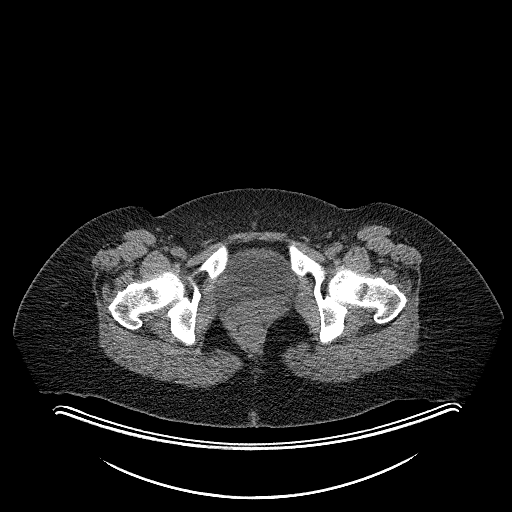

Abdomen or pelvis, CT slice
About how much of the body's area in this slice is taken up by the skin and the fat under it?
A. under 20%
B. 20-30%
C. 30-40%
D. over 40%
D. over 40%
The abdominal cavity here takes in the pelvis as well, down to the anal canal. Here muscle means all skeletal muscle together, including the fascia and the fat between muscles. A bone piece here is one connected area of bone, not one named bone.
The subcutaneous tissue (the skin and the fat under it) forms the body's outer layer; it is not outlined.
Outlines:
abdominal cavity: [[255,240],[278,241],[286,244],[290,269],[297,276],[299,281],[293,303],[268,324],[257,353],[250,353],[251,352],[246,349],[246,346],[242,343],[236,332],[222,319],[216,304],[216,285],[218,283],[217,278],[224,271],[228,263],[228,246],[235,243]]
torso: [[251,187],[301,192],[346,208],[391,203],[428,219],[466,254],[494,294],[503,317],[491,353],[463,402],[398,399],[325,423],[238,428],[169,421],[93,396],[40,391],[16,343],[14,319],[39,269],[73,231],[123,206],[140,205],[159,215],[206,194]]
bones 1: [[293,241],[299,250],[325,268],[327,272],[320,286],[324,295],[329,279],[342,265],[395,284],[406,297],[405,305],[385,323],[373,319],[372,308],[352,306],[344,317],[342,333],[322,343],[313,292],[315,280],[310,273],[300,279],[291,269],[287,245]]
bones 2: [[221,244],[228,249],[223,271],[214,279],[205,271],[193,276],[201,295],[194,344],[185,345],[172,335],[168,306],[143,313],[136,329],[121,325],[110,313],[108,306],[119,290],[164,271],[177,274],[185,286],[184,294],[190,297],[193,286],[187,277]]
muscle: [[364,224],[380,224],[391,228],[415,247],[422,256],[418,293],[419,349],[409,358],[398,364],[365,374],[350,382],[341,383],[316,383],[304,377],[294,375],[286,369],[281,354],[289,346],[295,345],[310,334],[308,326],[293,308],[289,310],[287,315],[276,319],[271,324],[267,332],[262,358],[257,361],[247,358],[247,354],[233,342],[220,320],[214,319],[204,334],[205,348],[207,350],[218,349],[229,352],[238,357],[244,364],[226,382],[209,389],[188,388],[134,373],[112,361],[104,355],[98,346],[97,308],[90,259],[102,246],[127,230],[141,227],[147,229],[159,239],[190,252],[214,238],[251,230],[286,232],[295,236],[308,238],[321,246],[336,242],[356,231]] with a hole at [[255,240],[293,241],[325,268],[324,295],[342,265],[395,284],[405,305],[385,323],[352,306],[322,343],[307,273],[250,353],[201,271],[194,344],[172,335],[168,306],[129,329],[108,309],[119,290],[171,271],[190,297],[187,277],[221,244]]